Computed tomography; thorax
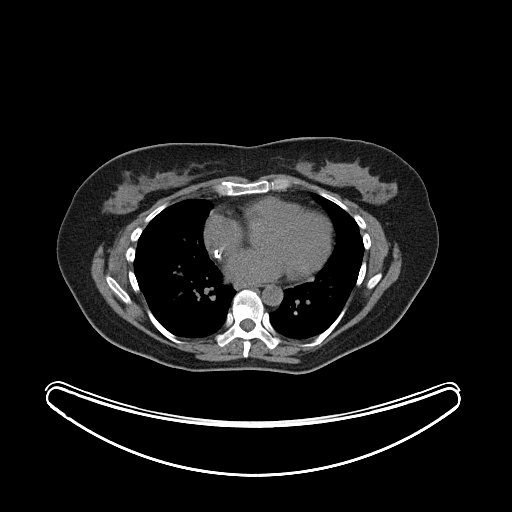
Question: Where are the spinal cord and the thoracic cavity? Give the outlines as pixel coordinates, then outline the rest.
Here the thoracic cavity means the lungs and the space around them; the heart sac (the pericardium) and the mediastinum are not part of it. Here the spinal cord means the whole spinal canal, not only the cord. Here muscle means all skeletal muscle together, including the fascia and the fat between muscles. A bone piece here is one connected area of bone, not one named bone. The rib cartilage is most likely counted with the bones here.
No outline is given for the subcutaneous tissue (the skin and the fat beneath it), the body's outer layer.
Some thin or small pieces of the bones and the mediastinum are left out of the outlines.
Answer: The spinal cord is outlined by 245,319 250,319 252,321 253,321 253,322 254,323 254,326 253,327 253,328 252,328 250,330 245,330 244,329 243,329 241,327 241,326 240,325 240,323 243,320 244,320. The thoracic cavity appears in 2 outlined pieces: piece 1: 190,198 206,199 212,203 213,206 203,226 203,242 209,258 220,271 223,281 226,284 231,285 236,292 232,297 222,329 214,334 200,338 178,337 158,321 149,308 140,289 133,265 137,241 146,225 168,206; piece 2: 312,193 336,204 353,218 359,228 364,250 355,285 337,317 327,328 313,338 294,339 284,337 276,331 270,321 269,313 278,309 284,298 284,291 286,289 314,278 326,263 335,244 335,230 332,221 314,199. The torso is outlined by 308,136 359,139 384,146 410,164 426,186 439,232 436,259 425,283 387,333 314,371 290,374 263,370 188,371 170,367 122,349 94,329 60,272 56,241 76,189 96,168 120,153 153,144 214,142 252,146. The muscle is outlined by 272,173 300,178 354,202 376,218 391,244 397,243 402,258 399,275 357,323 307,353 297,363 248,357 253,339 261,340 270,350 283,341 281,336 294,340 312,339 302,342 302,347 320,344 340,322 352,290 362,283 366,275 367,263 363,255 372,242 366,231 360,232 360,229 364,231 367,227 364,218 358,213 351,215 342,201 323,189 318,189 316,193 292,187 298,182 287,177 249,182 222,180 212,185 214,192 169,205 164,202 143,219 143,228 139,225 132,230 129,239 136,245 130,245 125,251 126,260 133,266 133,270 127,272 129,283 135,293 141,292 143,295 148,307 146,314 163,336 176,344 183,344 184,341 179,338 200,339 214,335 219,347 239,338 242,340 242,358 222,361 199,359 192,353 146,334 122,318 106,302 95,285 90,269 94,252 101,241 111,247 119,232 140,213 159,199 190,185 228,175 253,181 with holes at 106,275 108,275 109,276 110,276 111,277 112,277 119,284 119,285 128,294 128,295 129,296 129,297 130,298 130,299 131,300 131,303 125,303 110,288 110,287 108,285 108,284 107,283 107,281 106,280 and at 377,273 381,273 382,274 382,275 381,276 381,278 379,280 379,281 375,285 375,286 373,288 372,288 371,289 368,289 367,288 367,283 368,282 368,281 369,280 369,279 370,278 371,278 374,275 375,275. The mediastinum appears in 3 outlined pieces: piece 1: 223,275 229,280 237,282 246,282 247,283 254,283 255,284 298,284 296,284 292,287 286,288 283,291 283,298 277,309 269,312 265,309 261,298 255,291 249,288 244,288 237,292 231,284 226,283 224,281; piece 2: 212,193 215,193 220,196 240,196 241,195 248,195 249,194 257,194 251,194 250,195 245,195 244,196 241,196 240,197 221,201 211,212 211,213 210,213 214,206 213,205 213,203 209,199 200,197 206,194 211,194; piece 3: 289,188 297,188 298,189 309,191 311,192 312,194 312,197 315,201 311,200 310,199 308,199 305,197 303,197 299,195 296,195 292,193 289,193 288,192 268,192 278,192 279,191 284,191. The pericardium is outlined by 265,193 288,193 305,198 317,203 329,217 334,230 333,247 331,253 327,258 325,263 316,272 312,279 299,283 255,283 254,282 231,280 222,273 218,266 210,258 203,237 205,222 210,214 221,202 245,196. The bones appear in 12 outlined pieces: piece 1: 244,289 252,290 258,295 264,309 268,312 272,327 282,340 274,348 270,349 261,339 253,338 250,340 247,357 243,356 243,340 241,338 235,337 224,346 219,346 214,338 215,334 223,329 233,297 236,293 with a hole at 245,319 250,319 252,321 253,321 253,322 254,323 254,326 253,327 253,328 252,328 250,330 245,330 244,329 243,329 241,327 241,326 240,325 240,323 243,320 244,320; piece 2: 275,178 287,178 292,181 297,182 294,183 291,187 289,187 284,190 279,190 278,191 268,191 264,193 249,193 240,195 220,195 216,193 212,188 213,185 222,181 232,181 237,183 249,183 264,179 271,180; piece 3: 344,307 346,307 346,310 343,316 341,318 339,322 336,325 336,326 332,330 332,331 320,343 313,346 302,346 301,345 302,343 310,342 315,337 316,337 319,334 320,334 326,329 327,329 338,317; piece 4: 106,275 108,275 109,276 110,276 111,277 112,277 119,284 119,285 128,294 128,295 129,296 129,297 130,298 130,299 131,300 131,303 125,303 110,288 110,287 108,285 108,284 107,283 107,281 106,280; piece 5: 147,309 149,309 150,310 153,316 164,328 165,328 168,331 169,331 171,333 175,335 180,340 183,341 183,343 176,343 170,340 164,335 163,335 155,327 155,326 151,322 147,314; piece 6: 318,190 323,190 327,193 328,193 330,195 331,195 332,196 335,197 337,199 338,199 341,202 342,202 348,208 348,212 336,203 335,203 334,202 333,202 332,201 331,201 330,200 319,195 317,193 317,191; piece 7: 164,203 167,203 167,204 168,205 165,208 164,208 160,212 159,212 156,215 155,215 146,224 144,222 144,219 152,211 153,211 158,206 159,206 160,205 161,205 162,204 163,204; piece 8: 130,270 132,270 135,275 135,277 136,278 136,280 137,281 137,283 138,284 138,286 139,287 139,289 140,290 140,291 139,292 135,292 134,291 134,290 130,283 130,281 129,280 129,277 128,276 128,272; piece 9: 363,261 365,261 365,262 366,263 366,270 365,271 365,275 364,276 364,278 361,282 361,283 358,286 357,286 356,285 356,282 357,281 357,278 358,277 358,274 359,273 359,270 360,269 361,264; piece 10: 377,273 381,273 382,274 382,275 381,276 381,278 379,280 379,281 375,285 375,286 373,288 372,288 371,289 368,289 367,288 367,283 368,282 368,281 369,280 369,279 370,278 371,278 374,275 375,275; piece 11: 139,226 142,227 142,228 143,229 142,230 142,231 141,232 141,233 140,234 140,235 139,236 138,239 136,241 135,241 134,242 132,242 130,239 130,237 131,236 131,233 135,228 136,228; piece 12: 354,214 358,214 359,215 360,215 363,218 363,219 364,220 364,221 366,224 366,227 364,230 363,230 362,229 361,229 359,227 359,226 358,225 358,224 356,222 356,221 354,219 354,218 352,216.